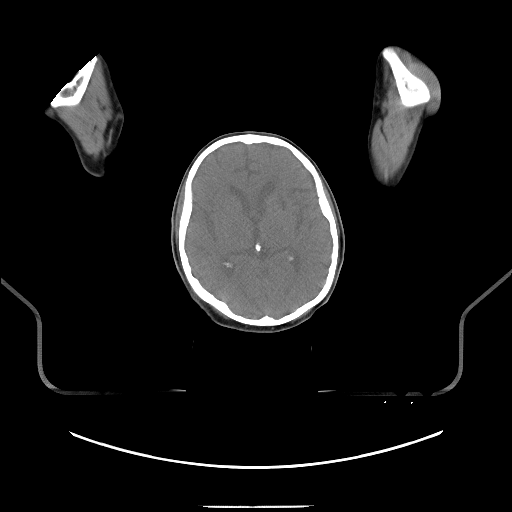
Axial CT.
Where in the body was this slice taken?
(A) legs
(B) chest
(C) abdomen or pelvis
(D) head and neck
Answer: (D) head and neck
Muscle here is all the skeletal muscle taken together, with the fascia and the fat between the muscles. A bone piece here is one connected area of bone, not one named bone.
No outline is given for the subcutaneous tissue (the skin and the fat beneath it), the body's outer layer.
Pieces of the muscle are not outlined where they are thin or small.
{"left_arm":[[[393,43],[397,44],[411,52],[436,74],[439,80],[441,88],[441,104],[438,112],[424,124],[421,130],[413,157],[400,182],[392,189],[384,189],[376,183],[370,170],[367,155],[367,135],[372,109],[372,95],[374,86],[376,57],[380,50],[389,44]]],"head":[[[243,130],[266,131],[285,136],[300,146],[316,162],[333,192],[345,234],[343,264],[337,284],[329,300],[309,319],[297,326],[277,332],[246,332],[213,322],[188,295],[178,275],[172,255],[170,241],[171,213],[184,171],[198,150],[211,139],[227,132]]],"right_arm":[[[99,53],[102,54],[109,66],[112,80],[124,114],[123,125],[117,147],[115,152],[106,164],[105,175],[100,178],[89,174],[82,167],[73,142],[68,134],[58,123],[48,118],[44,114],[46,108],[50,104],[50,102],[59,90],[74,76],[78,70]]],"brain":[[[233,143],[246,145],[266,143],[287,149],[310,174],[319,209],[328,224],[331,249],[329,264],[321,287],[313,297],[278,317],[268,314],[249,317],[233,311],[225,301],[204,287],[193,274],[186,250],[187,230],[193,211],[193,180],[208,155],[222,146]]],"muscle":[[[395,49],[409,55],[429,72],[437,85],[438,98],[437,109],[417,125],[402,166],[393,177],[384,180],[376,171],[371,151],[372,133],[380,114],[383,59],[390,68],[399,101],[404,107],[411,108],[425,104],[431,98],[430,89],[427,84],[406,66]],[[98,59],[100,60],[102,65],[111,101],[115,106],[117,119],[112,147],[102,157],[93,158],[83,150],[79,140],[71,129],[55,113],[52,114],[50,112],[51,110],[48,106],[49,105],[55,109],[59,107],[74,107],[78,105],[87,89]],[[323,182],[326,189],[328,191],[328,193],[330,196],[334,208],[334,211],[337,220],[337,224],[339,228],[339,243],[339,234],[337,229],[337,222],[333,213],[333,211],[331,208],[331,206],[329,203],[329,201],[326,196],[324,190]],[[210,306],[211,306],[212,307],[213,307],[216,310],[217,310],[218,311],[219,311],[222,314],[223,314],[224,315],[225,315],[227,317],[228,317],[229,318],[224,318],[222,316],[221,316],[220,315],[219,315],[217,313],[216,313],[212,309],[212,308]]],"bones":[{"outer":[[247,133],[269,135],[283,139],[308,158],[322,181],[323,190],[334,216],[338,234],[338,260],[328,292],[321,301],[299,317],[278,325],[260,326],[242,323],[230,318],[202,300],[194,292],[185,276],[178,251],[184,185],[193,162],[213,142],[224,137]],"hole":[[233,143],[246,145],[266,143],[287,149],[310,174],[319,209],[328,224],[331,249],[329,264],[321,287],[313,297],[278,317],[268,314],[249,317],[233,311],[225,301],[204,287],[193,274],[186,250],[187,230],[193,211],[193,180],[208,155],[222,146]]},[[388,46],[393,48],[405,66],[413,74],[420,78],[426,84],[429,89],[429,93],[430,94],[430,98],[427,102],[411,107],[406,107],[401,103],[400,96],[396,86],[395,79],[392,73],[391,68],[388,62],[383,58],[382,55],[382,50],[385,47]],[[95,56],[96,56],[97,60],[94,65],[94,67],[93,68],[92,73],[90,76],[89,81],[87,84],[86,89],[79,103],[74,106],[59,106],[55,108],[52,107],[50,105],[50,102],[59,90],[74,76],[78,70],[79,70],[89,60]]]}